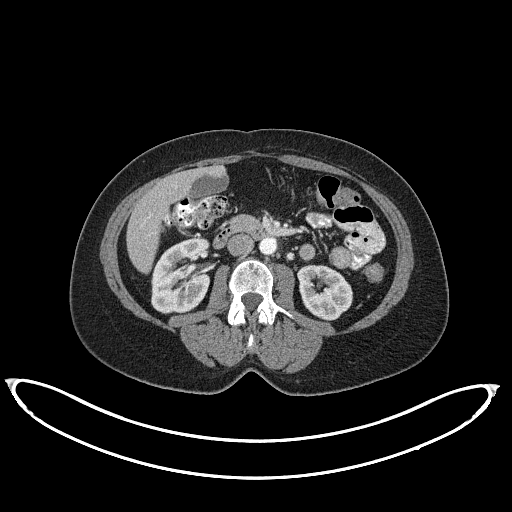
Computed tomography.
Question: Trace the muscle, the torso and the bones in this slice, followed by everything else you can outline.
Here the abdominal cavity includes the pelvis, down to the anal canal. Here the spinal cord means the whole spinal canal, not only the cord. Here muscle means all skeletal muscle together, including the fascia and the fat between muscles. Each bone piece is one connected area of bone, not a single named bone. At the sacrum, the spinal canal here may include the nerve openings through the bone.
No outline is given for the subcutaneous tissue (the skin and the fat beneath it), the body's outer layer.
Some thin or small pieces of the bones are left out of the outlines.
Answer: The muscle is outlined by [[282,373],[294,373],[305,368],[315,358],[326,338],[373,324],[386,315],[405,294],[414,265],[412,242],[408,226],[391,200],[367,183],[360,175],[346,168],[295,154],[278,155],[253,150],[180,164],[161,176],[146,182],[123,198],[108,219],[99,249],[99,259],[107,284],[122,305],[136,316],[172,333],[176,333],[191,355],[206,366],[216,367],[219,364],[230,367],[248,355],[251,357],[255,355],[267,368],[279,370]] with holes at [[336,326],[376,307],[396,258],[388,221],[352,180],[252,157],[178,171],[134,205],[118,241],[120,273],[134,298],[159,317],[203,309],[215,270],[227,264],[230,324],[272,324],[278,312],[293,318],[272,298],[270,268],[279,262],[294,272],[295,308]] and at [[248,348],[250,348],[253,345],[253,343],[254,342],[254,340],[253,339],[253,335],[252,334],[252,333],[250,333],[250,334],[249,335],[249,337],[248,338],[248,341],[247,342],[247,347]]. The torso is outlined by [[293,396],[336,393],[397,375],[425,359],[440,340],[449,317],[449,287],[441,248],[420,199],[395,169],[371,151],[309,130],[205,130],[169,139],[140,153],[101,190],[77,239],[68,305],[82,345],[110,369],[163,389],[215,394],[253,371],[277,390]]. The bones are outlined by [[232,325],[245,324],[248,321],[253,325],[255,321],[262,324],[272,324],[278,312],[282,312],[291,318],[294,317],[287,310],[276,304],[273,300],[273,275],[270,269],[259,260],[244,260],[237,264],[230,274],[228,284],[233,297],[229,305],[227,320]], around a hole outlined by [[250,311],[253,310],[257,306],[257,305],[262,300],[262,297],[260,295],[259,295],[258,294],[256,294],[255,293],[246,293],[245,294],[244,294],[242,296],[242,301],[244,303],[244,304],[245,305],[246,308],[248,310],[249,310]]. The spinal cord is outlined by [[250,311],[253,310],[257,306],[257,305],[262,300],[262,297],[260,295],[259,295],[258,294],[256,294],[255,293],[246,293],[245,294],[244,294],[242,296],[242,301],[244,303],[244,304],[245,305],[246,308],[248,310],[249,310]]. The abdominal cavity is outlined by [[336,326],[376,307],[391,284],[396,258],[388,221],[352,180],[252,157],[178,171],[134,205],[118,241],[120,273],[134,298],[159,317],[203,309],[219,265],[227,264],[230,273],[240,261],[256,258],[270,268],[278,262],[291,267],[296,279],[295,308]].